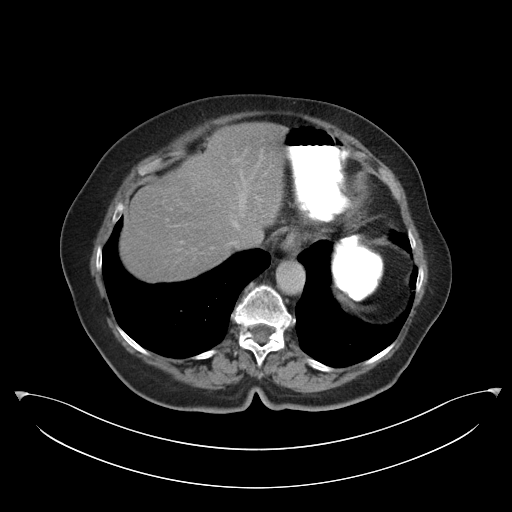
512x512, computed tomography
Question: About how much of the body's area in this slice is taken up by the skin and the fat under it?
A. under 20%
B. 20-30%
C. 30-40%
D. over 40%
Answer: B. 20-30%
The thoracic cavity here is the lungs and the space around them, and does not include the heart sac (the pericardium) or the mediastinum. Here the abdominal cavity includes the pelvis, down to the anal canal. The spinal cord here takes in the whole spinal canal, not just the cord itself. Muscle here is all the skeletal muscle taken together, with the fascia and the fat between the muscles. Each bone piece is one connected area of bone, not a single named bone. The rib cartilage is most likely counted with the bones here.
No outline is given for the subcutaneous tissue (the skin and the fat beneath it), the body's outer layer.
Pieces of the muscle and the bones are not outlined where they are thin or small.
The abdominal cavity is outlined by (257, 116) (307, 122) (348, 144) (367, 163) (376, 186) (372, 209) (399, 226) (389, 238) (415, 265) (408, 302) (393, 321) (369, 323) (340, 307) (330, 289) (332, 243) (327, 239) (280, 237) (182, 281) (147, 283) (122, 264) (118, 238) (131, 184) (212, 128). The mediastinum appears in 2 outlined pieces: piece 1: (286, 237) (298, 237) (315, 241) (297, 256) (305, 271) (305, 282) (301, 295) (294, 306) (294, 313) (289, 311) (282, 296) (271, 285) (266, 283) (255, 285) (239, 299) (240, 294) (244, 288) (263, 272) (270, 264) (271, 256) (269, 252) (260, 249) (271, 245) (280, 238); piece 2: (372, 174) (385, 184) (392, 197) (395, 200) (395, 202) (397, 204) (397, 207) (399, 209) (399, 213) (401, 216) (401, 220) (405, 231) (402, 231) (402, 229) (400, 226) (387, 214) (383, 212) (376, 212) (374, 211) (373, 209) (374, 196) (377, 186) (374, 182) (374, 179). The bones appear in 10 outlined pieces: piece 1: (260, 284) (271, 286) (281, 296) (288, 311) (294, 314) (295, 324) (293, 327) (288, 327) (284, 331) (283, 348) (277, 351) (270, 351) (259, 367) (257, 365) (254, 354) (250, 350) (239, 346) (238, 336) (241, 326) (231, 321) (230, 316) (240, 299) (255, 286) with a hole at (258, 324) (264, 324) (267, 326) (269, 326) (270, 327) (273, 327) (273, 331) (268, 336) (268, 340) (265, 343) (264, 343) (263, 344) (260, 344) (259, 343) (258, 343) (256, 341) (255, 341) (253, 339) (253, 334) (251, 331) (251, 328) (254, 325) (257, 325); piece 2: (379, 167) (384, 169) (391, 176) (391, 177) (393, 179) (395, 184) (397, 186) (399, 190) (399, 193) (400, 194) (400, 197) (398, 200) (395, 199) (393, 197) (389, 188) (386, 185) (386, 184) (384, 183) (380, 179) (379, 177) (379, 174) (377, 170); piece 3: (117, 324) (132, 339) (133, 339) (142, 347) (143, 347) (145, 349) (146, 349) (148, 351) (149, 351) (149, 352) (150, 353) (149, 354) (149, 355) (146, 355) (145, 354) (138, 351) (132, 346) (131, 346) (123, 338) (123, 337) (117, 330) (117, 329) (116, 328) (116, 325); piece 4: (307, 356) (309, 356) (311, 358) (312, 358) (313, 359) (314, 359) (323, 364) (325, 364) (328, 366) (330, 366) (331, 367) (334, 368) (334, 369) (332, 371) (321, 371) (320, 370) (315, 369) (314, 368) (309, 366) (308, 365) (308, 364) (306, 362) (306, 360) (305, 359); piece 5: (394, 341) (395, 341) (395, 343) (394, 344) (393, 347) (392, 347) (383, 356) (382, 356) (379, 359) (376, 360) (372, 363) (369, 363) (368, 364) (363, 364) (363, 361) (370, 358) (372, 356) (375, 355) (380, 351) (383, 350) (386, 347) (387, 347) (392, 342) (393, 342); piece 6: (119, 202) (122, 202) (124, 204) (124, 205) (125, 206) (125, 208) (123, 210) (123, 212) (122, 213) (122, 214) (120, 216) (120, 217) (114, 224) (112, 222) (112, 216) (113, 215) (113, 213) (114, 212) (114, 210) (115, 209) (115, 207) (116, 206) (117, 203) (118, 203); piece 7: (157, 158) (160, 158) (161, 159) (161, 161) (157, 165) (156, 165) (155, 166) (154, 166) (152, 168) (149, 169) (141, 176) (138, 173) (138, 169) (140, 167) (141, 167) (142, 166) (143, 166) (144, 165) (145, 165) (146, 164) (151, 162) (153, 160) (154, 160); piece 8: (214, 347) (216, 349) (216, 350) (217, 351) (212, 356) (211, 356) (209, 358) (206, 358) (205, 359) (192, 359) (191, 358) (190, 358) (190, 357) (191, 357) (192, 356) (194, 356) (197, 354) (199, 354) (202, 352) (204, 352) (207, 350) (209, 350) (210, 349) (211, 349); piece 9: (419, 266) (421, 266) (422, 267) (422, 268) (423, 269) (423, 280) (422, 281) (422, 284) (421, 285) (421, 287) (420, 288) (420, 290) (417, 293) (415, 293) (415, 287) (416, 286) (416, 281) (417, 280) (417, 275) (418, 274) (418, 267); piece 10: (98, 246) (100, 246) (102, 248) (102, 251) (101, 252) (101, 271) (98, 271) (97, 270) (97, 269) (96, 268) (96, 253) (97, 252) (97, 247). The thoracic cavity appears in 3 outlined pieces: piece 1: (121, 216) (123, 219) (117, 238) (117, 255) (130, 275) (147, 284) (193, 279) (239, 252) (253, 249) (268, 252) (270, 256) (268, 266) (239, 294) (239, 300) (229, 316) (227, 333) (215, 346) (189, 357) (168, 357) (148, 350) (118, 324) (104, 285) (102, 252) (114, 225); piece 2: (319, 240) (331, 243) (331, 295) (346, 314) (369, 324) (389, 324) (404, 311) (412, 292) (412, 270) (414, 266) (417, 267) (411, 309) (395, 339) (370, 357) (341, 367) (323, 363) (304, 352) (299, 346) (294, 330) (295, 306) (306, 282) (306, 271) (298, 256); piece 3: (393, 231) (395, 231) (396, 232) (406, 232) (406, 235) (408, 238) (408, 241) (410, 245) (410, 248) (412, 251) (412, 255) (411, 255) (410, 253) (406, 251) (405, 249) (404, 249) (402, 247) (392, 241) (392, 240) (390, 238) (390, 236) (391, 235) (391, 233). The torso is outlined by (232, 93) (305, 97) (346, 107) (387, 132) (418, 168) (429, 209) (450, 251) (451, 287) (406, 368) (393, 385) (372, 397) (323, 411) (272, 410) (255, 393) (238, 412) (173, 409) (129, 389) (78, 318) (61, 266) (59, 239) (66, 212) (98, 160) (146, 119) (190, 100). The muscle is outlined by (253, 109) (262, 109) (263, 110) (267, 109) (269, 110) (282, 109) (283, 110) (291, 110) (296, 112) (305, 113) (330, 122) (357, 138) (394, 173) (404, 189) (406, 199) (408, 203) (408, 208) (414, 224) (418, 231) (419, 236) (422, 241) (424, 253) (427, 261) (428, 279) (425, 288) (425, 292) (418, 307) (417, 313) (415, 315) (413, 323) (407, 335) (398, 349) (388, 359) (382, 361) (377, 366) (358, 377) (339, 386) (318, 392) (306, 393) (305, 394) (294, 392) (290, 389) (278, 386) (271, 382) (268, 382) (265, 380) (254, 379) (248, 376) (236, 386) (226, 390) (209, 390) (204, 388) (193, 387) (188, 384) (173, 379) (163, 371) (151, 365) (144, 363) (138, 358) (126, 351) (116, 339) (105, 319) (104, 312) (102, 310) (98, 298) (98, 292) (95, 285) (94, 278) (90, 273) (90, 258) (93, 249) (94, 240) (96, 237) (97, 232) (102, 224) (103, 219) (106, 214) (111, 200) (121, 184) (122, 180) (130, 171) (131, 168) (143, 158) (165, 146) (178, 135) (183, 133) (186, 130) (190, 129) (200, 123) (202, 123) (207, 119) (214, 118) (228, 113) (238, 112) (244, 110) (252, 110) with a hole at (257, 116) (296, 118) (331, 133) (376, 177) (378, 168) (384, 169) (399, 190) (395, 202) (405, 231) (414, 237) (412, 257) (423, 269) (423, 280) (393, 347) (372, 363) (315, 369) (306, 362) (293, 327) (284, 331) (283, 348) (270, 351) (260, 367) (254, 354) (239, 346) (241, 326) (232, 321) (217, 351) (205, 359) (146, 355) (116, 328) (96, 253) (114, 227) (117, 203) (125, 203) (127, 190) (141, 176) (138, 169) (157, 158) (166, 160) (216, 126). The spinal cord is outlined by (258, 324) (264, 324) (267, 326) (269, 326) (270, 327) (273, 327) (273, 331) (268, 336) (268, 340) (265, 343) (264, 343) (263, 344) (260, 344) (259, 343) (258, 343) (256, 341) (255, 341) (253, 339) (253, 334) (251, 331) (251, 328) (254, 325) (257, 325).